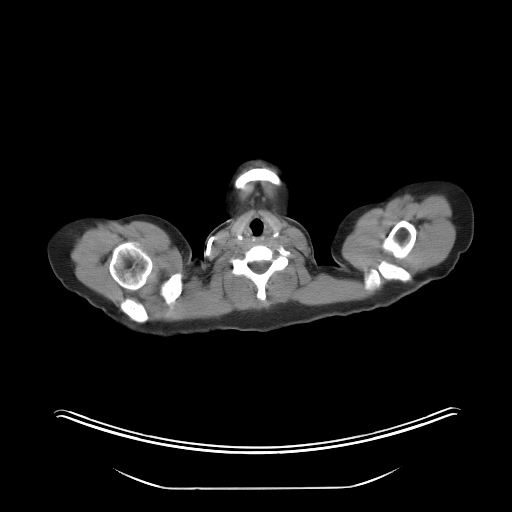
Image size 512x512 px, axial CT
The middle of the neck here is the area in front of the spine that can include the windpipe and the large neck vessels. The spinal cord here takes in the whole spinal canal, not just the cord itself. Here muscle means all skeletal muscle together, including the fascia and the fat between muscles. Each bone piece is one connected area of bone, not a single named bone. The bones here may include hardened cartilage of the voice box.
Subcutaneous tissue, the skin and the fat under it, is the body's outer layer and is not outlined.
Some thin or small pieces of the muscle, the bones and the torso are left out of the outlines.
The head and neck is outlined by 256 157; 271 160; 285 174; 291 188; 289 215; 302 224; 308 231; 312 240; 316 261; 307 287; 291 311; 273 328; 263 332; 246 331; 237 323; 221 301; 203 260; 205 241; 208 234; 226 219; 224 211; 224 190; 228 179; 240 163. The torso appears in 2 outlined pieces: piece 1: 202 255; 205 270; 216 290; 220 301; 236 323; 245 331; 227 329; 210 331; 205 333; 182 334; 165 338; 152 337; 134 333; 116 323; 104 314; 128 300; 143 297; 156 291; 163 286; 176 272; 182 269; 190 261; 192 257; 201 257; piece 2: 317 262; 319 264; 331 265; 335 265; 336 263; 339 266; 347 269; 371 269; 386 264; 429 283; 388 307; 377 308; 370 311; 363 311; 350 316; 326 317; 308 323; 294 324; 279 329; 271 330; 292 311; 298 300; 306 291; 317 265. The middle of the neck is outlined by 257 214; 269 221; 274 238; 279 236; 280 230; 283 230; 288 236; 288 242; 285 245; 279 244; 277 246; 268 246; 260 243; 254 244; 244 250; 227 252; 223 248; 224 240; 234 233; 236 241; 240 241; 243 238; 241 233; 245 223. The left arm is outlined by 426 179; 445 179; 458 184; 467 192; 473 205; 474 234; 472 242; 469 248; 460 255; 454 268; 446 277; 430 282; 386 263; 371 268; 347 268; 339 265; 332 258; 330 254; 330 242; 339 222; 346 214; 361 205; 383 200; 404 184. The spinal cord is outlined by 255 261; 269 261; 270 262; 270 264; 269 265; 269 266; 267 268; 267 269; 264 272; 262 272; 261 273; 257 273; 256 272; 255 272; 254 271; 253 271; 250 268; 250 267; 249 266; 249 263; 250 263; 251 262; 254 262. The bones appear in 7 outlined pieces: piece 1: 126 241; 134 241; 135 242; 137 242; 148 254; 152 261; 152 268; 150 273; 146 279; 145 283; 140 288; 136 290; 129 290; 126 288; 122 287; 112 277; 109 271; 109 261; 111 257; 111 253; 112 252; 112 250; 120 243; 122 243; piece 2: 260 244; 274 250; 279 245; 282 245; 290 252; 287 257; 287 265; 283 269; 275 271; 269 277; 266 283; 265 305; 257 298; 257 288; 254 283; 244 275; 235 275; 231 271; 231 261; 233 259; 241 258; 245 254; 246 250; 254 245, around a hole outlined by 255 261; 269 261; 270 262; 270 264; 269 265; 269 266; 267 268; 267 269; 264 272; 262 272; 261 273; 257 273; 256 272; 255 272; 254 271; 253 271; 250 268; 250 267; 249 266; 249 263; 250 263; 251 262; 254 262; piece 3: 403 219; 410 222; 414 225; 416 229; 416 236; 415 237; 415 242; 413 245; 413 247; 409 253; 404 258; 402 259; 397 259; 394 258; 390 253; 385 252; 381 248; 381 245; 384 239; 388 235; 389 232; 395 224; 400 220; piece 4: 382 259; 386 259; 398 264; 404 268; 411 275; 412 278; 411 280; 406 282; 403 282; 399 280; 387 280; 383 278; 381 280; 382 283; 378 289; 373 292; 367 292; 365 291; 363 288; 363 271; 365 269; 368 269; 369 268; 376 268; piece 5: 257 167; 264 167; 265 168; 268 168; 274 171; 279 176; 281 180; 281 184; 280 185; 274 184; 267 180; 251 180; 247 182; 245 184; 243 188; 236 188; 234 186; 234 181; 235 179; 240 174; 247 171; 251 168; 256 168; piece 6: 178 272; 180 272; 182 274; 182 290; 181 291; 181 293; 179 295; 179 296; 176 298; 174 302; 171 305; 168 305; 165 302; 164 299; 160 294; 160 286; 161 284; 165 280; 169 278; 170 276; piece 7: 128 296; 129 297; 132 297; 136 299; 143 305; 148 315; 148 320; 146 322; 144 323; 139 323; 138 322; 136 322; 132 320; 125 313; 124 313; 121 310; 120 308; 120 303; 121 301; 124 299; 124 298. The muscle is outlined by 251 181; 282 184; 280 212; 305 236; 308 261; 317 272; 346 275; 350 265; 341 247; 355 221; 405 193; 444 194; 456 238; 442 262; 411 282; 404 267; 386 258; 365 268; 367 293; 378 290; 383 279; 402 282; 363 300; 290 301; 217 318; 151 322; 136 298; 124 297; 120 310; 78 280; 67 259; 71 236; 95 221; 147 221; 169 234; 191 270; 205 261; 209 238; 232 217; 233 188, around holes outlined by 257 214; 287 234; 288 242; 282 246; 290 252; 287 257; 287 265; 283 269; 275 271; 266 283; 265 305; 257 298; 257 288; 254 283; 244 275; 235 275; 231 271; 231 261; 235 258; 241 258; 245 251; 227 252; 223 248; 224 240 and by 126 241; 134 241; 135 242; 137 242; 148 254; 152 261; 152 268; 150 273; 146 279; 145 283; 140 288; 136 290; 129 290; 126 288; 122 287; 112 277; 109 271; 109 261; 111 257; 111 253; 112 252; 112 250; 120 243; 122 243 and by 403 219; 410 222; 414 225; 416 229; 416 236; 415 237; 415 242; 413 245; 413 247; 409 253; 404 258; 402 259; 397 259; 394 258; 390 253; 385 252; 381 248; 381 245; 384 239; 388 235; 389 232; 395 224; 400 220 and by 178 272; 180 272; 182 274; 182 290; 181 291; 181 293; 179 295; 179 296; 176 298; 174 302; 171 305; 168 305; 165 302; 164 299; 160 294; 160 286; 161 284; 165 280; 169 278; 170 276. The right arm is outlined by 138 213; 153 214; 171 222; 184 235; 190 244; 192 256; 182 268; 176 271; 156 290; 143 296; 128 299; 103 313; 100 309; 92 306; 83 298; 68 291; 55 276; 47 257; 46 245; 48 239; 56 229; 74 218; 90 214; 119 218.